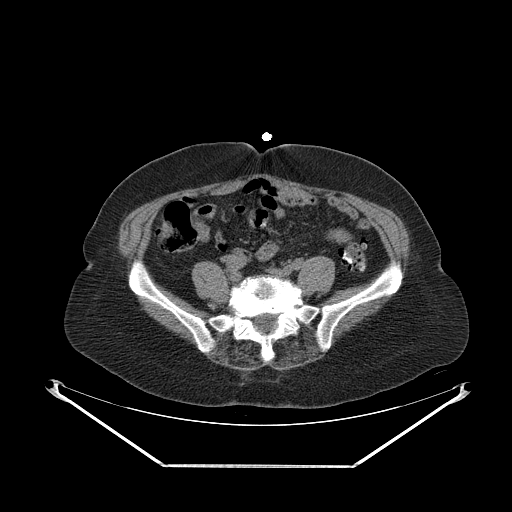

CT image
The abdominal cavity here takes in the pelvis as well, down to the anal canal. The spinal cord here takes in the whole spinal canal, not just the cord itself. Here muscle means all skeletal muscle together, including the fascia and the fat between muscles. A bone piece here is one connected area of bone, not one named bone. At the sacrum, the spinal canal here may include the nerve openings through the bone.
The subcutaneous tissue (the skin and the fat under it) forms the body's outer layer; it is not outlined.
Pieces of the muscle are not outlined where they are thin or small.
Outlined structures:
abdominal cavity: (261, 178) (349, 202) (377, 232) (388, 262) (368, 281) (317, 305) (302, 297) (316, 299) (332, 287) (336, 266) (325, 255) (302, 261) (295, 283) (256, 274) (230, 288) (215, 261) (196, 262) (197, 295) (225, 313) (213, 315) (176, 295) (144, 262) (160, 208)
torso: (216, 141) (246, 142) (259, 151) (290, 143) (321, 145) (365, 158) (397, 179) (430, 224) (442, 268) (463, 295) (469, 338) (462, 354) (362, 399) (320, 408) (273, 408) (165, 399) (76, 351) (64, 333) (64, 311) (73, 282) (86, 266) (84, 238) (103, 202) (148, 161)
spinal cord: (266, 313) (267, 314) (276, 315) (276, 319) (275, 320) (275, 325) (274, 327) (270, 331) (268, 332) (262, 332) (260, 330) (259, 330) (258, 328) (254, 324) (252, 319) (253, 319) (257, 316) (259, 316) (260, 315) (262, 315)
muscle 1: (254, 173) (266, 173) (306, 185) (345, 191) (392, 210) (403, 222) (410, 239) (410, 263) (404, 282) (402, 264) (395, 259) (389, 261) (388, 253) (378, 232) (368, 218) (349, 201) (334, 196) (320, 197) (289, 187) (276, 187) (267, 178) (261, 177) (251, 179) (239, 189) (227, 193) (177, 196) (164, 203) (152, 221) (143, 260) (138, 258) (131, 263) (127, 274) (127, 285) (124, 262) (117, 249) (119, 226) (126, 215) (140, 205) (168, 193) (233, 180)
muscle 2: (318, 317) (314, 337) (319, 350) (325, 354) (303, 366) (283, 371) (264, 366) (245, 373) (216, 364) (204, 354) (216, 346) (209, 327) (219, 333) (231, 330) (237, 341) (258, 343) (260, 357) (266, 364) (275, 357) (274, 342) (297, 335) (301, 323) (308, 325)
muscle 3: (202, 261) (211, 261) (212, 262) (215, 262) (223, 270) (224, 274) (227, 278) (227, 280) (229, 284) (229, 298) (228, 299) (227, 304) (231, 310) (230, 312) (214, 310) (211, 307) (207, 305) (206, 303) (198, 295) (192, 280) (192, 269) (196, 263) (198, 262) (201, 262)
muscle 4: (314, 256) (325, 256) (328, 257) (334, 262) (334, 265) (335, 266) (335, 277) (331, 287) (326, 293) (318, 296) (316, 298) (312, 298) (310, 296) (308, 297) (302, 296) (302, 289) (296, 284) (296, 281) (298, 277) (298, 274) (300, 271) (300, 267) (302, 264) (302, 262)
muscle 5: (394, 294) (394, 295) (387, 301) (377, 312) (358, 323) (349, 331) (345, 332) (332, 346) (333, 337) (334, 336) (334, 331) (336, 327) (342, 318) (343, 318) (344, 316) (351, 310) (358, 305) (361, 305) (367, 302) (373, 301) (386, 296) (387, 297) (388, 296) (391, 296)
muscle 6: (135, 295) (141, 297) (147, 301) (159, 306) (164, 310) (170, 312) (190, 333) (191, 337) (196, 347) (195, 347) (193, 344) (189, 343) (185, 339) (176, 335) (172, 331) (168, 330) (163, 325) (160, 324) (153, 318) (150, 317) (141, 309) (141, 306) (138, 302) (137, 298)
muscle 7: (150, 273) (154, 280) (157, 283) (163, 286) (166, 289) (169, 290) (176, 296) (186, 301) (195, 308) (205, 311) (212, 315) (205, 320) (200, 316) (196, 315) (194, 313) (189, 312) (182, 308) (179, 305) (171, 300) (164, 293) (163, 293) (159, 288) (158, 288) (154, 282)
muscle 8: (379, 272) (380, 272) (379, 274) (367, 286) (361, 289) (359, 291) (352, 294) (350, 296) (336, 302) (324, 304) (321, 306) (317, 306) (320, 303) (323, 302) (329, 298) (336, 291) (338, 290) (342, 290) (348, 287) (351, 287) (355, 285) (359, 285) (360, 284) (368, 282)
bones: (138, 259) (163, 294) (205, 321) (232, 311) (230, 289) (247, 276) (288, 279) (317, 307) (364, 289) (391, 260) (403, 278) (395, 293) (344, 315) (327, 351) (318, 316) (274, 341) (266, 363) (258, 342) (231, 329) (209, 326) (215, 346) (201, 352) (170, 311) (130, 289), around a hole outlined by (266, 313) (267, 314) (276, 315) (276, 319) (275, 320) (275, 325) (274, 327) (270, 331) (268, 332) (262, 332) (260, 330) (259, 330) (258, 328) (254, 324) (252, 319) (253, 319) (257, 316) (259, 316) (260, 315) (262, 315)